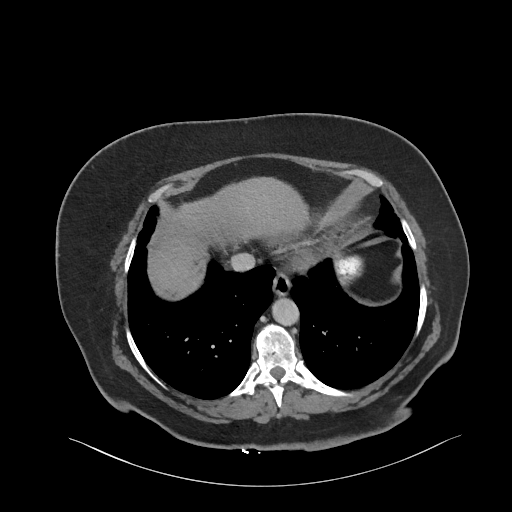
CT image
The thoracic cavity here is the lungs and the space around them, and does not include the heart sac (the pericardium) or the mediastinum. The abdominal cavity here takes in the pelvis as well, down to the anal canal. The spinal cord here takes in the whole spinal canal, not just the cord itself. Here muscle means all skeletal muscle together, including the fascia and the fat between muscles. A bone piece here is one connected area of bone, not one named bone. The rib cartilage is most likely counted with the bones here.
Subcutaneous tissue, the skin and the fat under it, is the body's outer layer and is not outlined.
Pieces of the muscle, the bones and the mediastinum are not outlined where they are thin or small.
The bones appear in 7 outlined pieces: piece 1: (269, 323) (283, 327) (296, 339) (296, 356) (303, 360) (306, 367) (320, 381) (353, 394) (333, 396) (314, 389) (303, 388) (288, 381) (283, 385) (279, 408) (273, 394) (262, 384) (257, 385) (251, 395) (244, 393) (227, 397) (242, 380) (251, 362) (257, 359) (255, 335); inner edge: (277, 366) (278, 366) (279, 367) (281, 367) (284, 370) (284, 374) (280, 378) (279, 378) (278, 379) (277, 379) (275, 377) (274, 377) (271, 374) (271, 373) (270, 372) (270, 371) (271, 370) (271, 369) (272, 369) (273, 368) (274, 368) (275, 367) (276, 367); piece 2: (126, 326) (128, 326) (129, 330) (131, 333) (131, 335) (133, 338) (133, 340) (147, 365) (157, 376) (157, 377) (166, 385) (166, 388) (165, 389) (159, 385) (149, 376) (149, 375) (143, 369) (143, 368) (139, 364) (135, 358) (127, 342) (127, 339) (125, 334) (125, 327); piece 3: (420, 283) (424, 283) (426, 287) (426, 293) (427, 294) (427, 306) (426, 307) (425, 317) (424, 318) (422, 326) (420, 329) (420, 331) (416, 336) (414, 336) (414, 333) (415, 332) (416, 326) (417, 325) (417, 318) (418, 317) (418, 313) (419, 312) (419, 292) (420, 291); piece 4: (349, 169) (362, 169) (363, 170) (371, 172) (379, 177) (383, 181) (383, 185) (381, 187) (376, 187) (373, 185) (371, 185) (363, 178) (361, 178) (357, 175) (354, 175) (353, 174) (346, 174) (345, 173) (337, 173) (337, 172) (340, 172) (341, 171) (348, 170); piece 5: (167, 183) (171, 183) (172, 184) (172, 188) (169, 191) (167, 191) (165, 192) (162, 195) (162, 199) (161, 201) (157, 203) (150, 203) (148, 202) (147, 200) (147, 198) (148, 196) (156, 189) (157, 189) (162, 185) (164, 185); piece 6: (136, 234) (137, 234) (137, 239) (136, 240) (136, 244) (134, 248) (133, 255) (132, 256) (132, 258) (129, 265) (129, 268) (128, 269) (127, 274) (125, 274) (124, 272) (124, 260) (126, 257) (126, 254) (128, 250) (128, 247) (130, 244) (130, 242) (132, 239) (132, 237); piece 7: (400, 217) (403, 217) (407, 221) (407, 222) (410, 227) (410, 229) (414, 236) (414, 238) (415, 239) (415, 242) (416, 243) (416, 249) (414, 251) (411, 248) (411, 247) (408, 242) (407, 237) (402, 228) (402, 226) (401, 225) (401, 222) (400, 221) (400, 219) (399, 218). The muscle is outlined by (264, 152) (279, 152) (280, 153) (287, 153) (294, 155) (313, 157) (319, 159) (326, 159) (340, 162) (354, 163) (358, 165) (368, 167) (377, 171) (395, 186) (405, 200) (407, 206) (416, 218) (427, 241) (426, 245) (427, 256) (428, 257) (428, 261) (427, 262) (428, 263) (429, 275) (431, 283) (434, 287) (432, 291) (432, 295) (433, 298) (437, 302) (440, 312) (441, 333) (440, 337) (436, 343) (413, 369) (401, 380) (396, 383) (385, 394) (362, 407) (340, 412) (328, 411) (323, 413) (311, 414) (309, 419) (295, 419) (292, 417) (287, 416) (279, 419) (276, 418) (272, 419) (269, 422) (263, 424) (257, 423) (251, 419) (233, 420) (228, 423) (206, 422) (196, 419) (169, 406) (145, 389) (128, 372) (115, 365) (111, 355) (111, 338) (112, 337) (112, 324) (113, 323) (112, 322) (115, 312) (115, 301) (113, 293) (114, 273) (110, 269) (109, 261) (122, 234) (126, 230) (128, 222) (133, 215) (137, 205) (146, 196) (150, 188) (157, 181) (169, 175) (178, 173) (184, 170) (191, 169) (194, 167) (204, 165) (216, 160) (220, 160) (238, 155) (245, 155) (253, 153) (263, 153) with a hole at (256, 158) (289, 160) (368, 185) (357, 175) (337, 172) (371, 172) (383, 185) (370, 186) (407, 221) (414, 236) (418, 282) (424, 283) (427, 294) (422, 326) (390, 369) (350, 389) (351, 396) (328, 395) (288, 381) (283, 385) (279, 408) (262, 384) (251, 395) (198, 398) (168, 384) (165, 389) (159, 385) (139, 364) (127, 342) (124, 260) (132, 237) (141, 230) (153, 204) (148, 196) (167, 183) (172, 188) (163, 199) (192, 191) (208, 172). The thoracic cavity appears in 2 outlined pieces: piece 1: (153, 204) (158, 213) (146, 244) (145, 270) (158, 298) (177, 302) (196, 292) (213, 259) (224, 271) (247, 272) (262, 265) (274, 271) (271, 302) (253, 327) (256, 359) (250, 362) (241, 380) (221, 397) (198, 398) (165, 383) (146, 362) (130, 330) (127, 275) (138, 234); piece 2: (380, 194) (390, 203) (413, 251) (419, 283) (416, 325) (409, 344) (390, 369) (361, 387) (345, 390) (320, 380) (297, 356) (300, 310) (290, 291) (294, 278) (305, 276) (317, 263) (330, 258) (337, 284) (358, 304) (380, 307) (400, 295) (404, 266) (402, 242) (374, 225). The spinal cord is outlined by (277, 366) (278, 366) (279, 367) (281, 367) (284, 370) (284, 374) (280, 378) (279, 378) (278, 379) (277, 379) (275, 377) (274, 377) (271, 374) (271, 373) (270, 372) (270, 371) (271, 370) (271, 369) (272, 369) (273, 368) (274, 368) (275, 367) (276, 367). The abdominal cavity is outlined by (256, 158) (289, 160) (369, 185) (349, 218) (400, 240) (399, 295) (387, 304) (367, 306) (340, 287) (330, 257) (342, 232) (332, 221) (270, 237) (263, 247) (233, 250) (222, 265) (213, 258) (196, 291) (177, 301) (158, 297) (146, 270) (157, 204) (192, 191) (216, 168). The pericardium is outlined by (332, 222) (336, 222) (339, 225) (341, 232) (341, 236) (337, 243) (333, 254) (329, 257) (322, 258) (306, 270) (295, 269) (283, 263) (278, 259) (269, 255) (264, 247) (266, 241) (270, 238) (286, 235) (294, 232) (300, 232) (301, 231) (309, 230) (314, 227) (321, 226). The torso is outlined by (287, 112) (333, 113) (375, 122) (407, 138) (429, 160) (457, 213) (469, 254) (469, 285) (457, 346) (409, 401) (412, 413) (379, 433) (315, 450) (259, 452) (193, 444) (135, 412) (117, 410) (95, 385) (60, 307) (55, 274) (58, 211) (83, 164) (121, 136) (166, 122). The mediastinum appears in 2 outlined pieces: piece 1: (252, 245) (264, 248) (269, 256) (295, 270) (309, 269) (305, 275) (297, 275) (292, 279) (289, 291) (299, 310) (297, 339) (274, 322) (265, 324) (254, 335) (256, 322) (273, 299) (275, 271) (269, 264) (258, 265) (247, 271) (224, 270) (223, 266) (223, 260) (229, 253); piece 2: (372, 189) (378, 190) (381, 193) (380, 193) (378, 196) (378, 200) (379, 201) (379, 209) (378, 210) (377, 216) (373, 223) (374, 227) (376, 228) (374, 229) (366, 229) (355, 224) (351, 220) (350, 218) (350, 212) (351, 211) (351, 208) (353, 205) (360, 198) (364, 196).